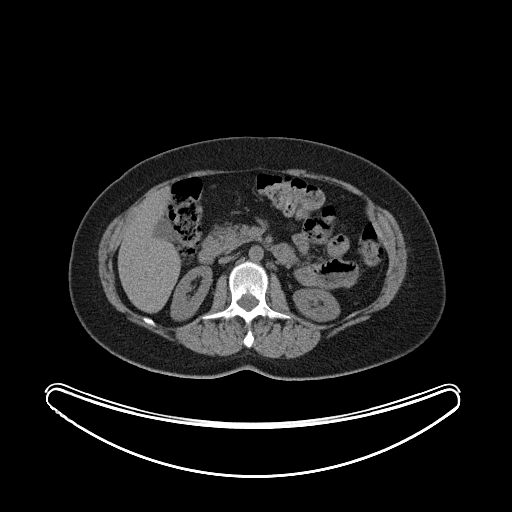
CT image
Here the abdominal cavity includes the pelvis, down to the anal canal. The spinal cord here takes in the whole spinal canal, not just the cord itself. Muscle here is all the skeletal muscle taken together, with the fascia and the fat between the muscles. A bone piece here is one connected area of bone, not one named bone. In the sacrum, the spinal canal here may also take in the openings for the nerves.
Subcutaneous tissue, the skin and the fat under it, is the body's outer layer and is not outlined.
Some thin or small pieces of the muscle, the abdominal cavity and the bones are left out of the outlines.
{"muscle":[{"outer":[[256,166],[274,169],[300,168],[305,169],[308,172],[335,177],[354,185],[368,195],[376,204],[393,215],[402,232],[407,249],[407,267],[402,284],[393,300],[388,305],[371,315],[368,319],[326,338],[303,355],[293,359],[285,359],[266,357],[250,350],[240,351],[227,356],[200,354],[182,344],[170,341],[128,320],[109,302],[98,274],[98,248],[105,229],[116,216],[127,209],[148,189],[176,176],[196,170],[246,169]],"holes":[[[250,170],[333,184],[363,199],[387,253],[379,294],[348,318],[318,324],[290,310],[278,276],[270,272],[265,301],[289,319],[259,315],[248,326],[239,316],[200,315],[175,327],[146,323],[124,303],[116,285],[113,257],[127,226],[151,195],[178,180]],[[248,328],[250,328],[250,329],[251,330],[251,332],[252,333],[252,335],[253,336],[253,342],[252,343],[252,345],[251,346],[251,347],[246,347],[244,345],[244,344],[243,343],[243,339],[244,338],[244,337],[247,332],[247,330],[248,329]]]},[[222,275],[225,275],[227,278],[227,285],[228,286],[228,289],[230,293],[230,302],[229,304],[225,308],[221,310],[215,311],[211,313],[206,313],[208,312],[211,308],[212,302],[213,301],[214,290],[216,287],[216,283],[218,279],[220,277],[220,276]]],"spinal_cord":[[[244,295],[250,295],[251,296],[253,296],[257,300],[257,304],[254,307],[253,307],[250,310],[246,310],[245,309],[244,309],[241,306],[240,306],[238,304],[238,301]]],"bones":[{"outer":[[245,261],[259,264],[265,270],[268,276],[265,301],[268,306],[275,311],[289,315],[291,318],[269,318],[259,315],[254,318],[248,326],[239,316],[227,320],[223,317],[202,318],[203,315],[221,311],[230,304],[231,293],[228,285],[228,276],[235,265]],"hole":[[244,295],[250,295],[251,296],[253,296],[257,300],[257,304],[254,307],[253,307],[250,310],[246,310],[245,309],[244,309],[241,306],[240,306],[238,304],[238,301]]},[[248,328],[250,328],[250,329],[251,330],[251,332],[252,333],[252,335],[253,336],[253,342],[252,343],[252,345],[251,346],[251,347],[246,347],[244,345],[244,344],[243,343],[243,339],[244,338],[244,337],[247,332],[247,330],[248,329]]],"torso":[[[233,135],[289,136],[332,144],[373,161],[411,192],[433,228],[446,279],[443,314],[420,346],[391,362],[332,378],[280,380],[240,370],[196,379],[130,364],[106,351],[86,333],[70,303],[67,264],[75,230],[90,203],[111,181],[144,158],[186,143]]],"abdominal_cavity":[[[250,170],[333,184],[363,199],[388,259],[375,299],[335,322],[314,323],[290,310],[275,272],[268,275],[261,264],[245,260],[235,264],[227,277],[219,276],[210,308],[188,323],[164,326],[128,307],[116,285],[113,257],[127,226],[149,197],[184,178]]]}